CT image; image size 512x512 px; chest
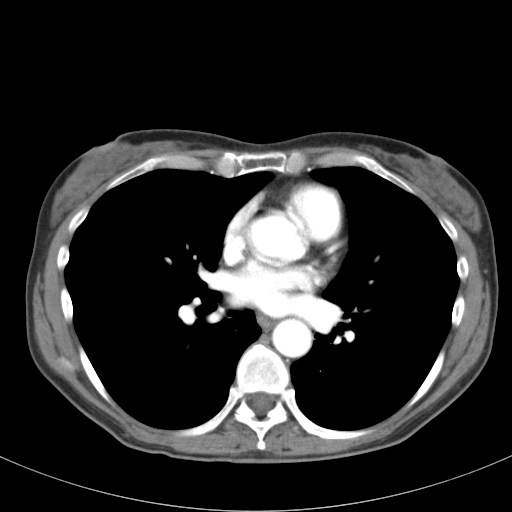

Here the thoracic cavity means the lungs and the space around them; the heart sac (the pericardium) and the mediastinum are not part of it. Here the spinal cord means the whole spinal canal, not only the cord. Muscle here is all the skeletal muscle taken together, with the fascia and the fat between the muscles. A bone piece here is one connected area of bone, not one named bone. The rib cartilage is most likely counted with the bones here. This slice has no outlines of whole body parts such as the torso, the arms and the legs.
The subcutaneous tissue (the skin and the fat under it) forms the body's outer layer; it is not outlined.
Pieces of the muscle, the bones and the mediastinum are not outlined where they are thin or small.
Outlines:
spinal cord: 257,392 264,392 267,394 272,395 274,398 274,404 273,405 272,408 271,408 263,416 258,416 255,413 255,412 249,406 249,405 247,402 247,399 248,398 248,396 250,394 252,394 253,393 256,393
pericardium: 292,175 308,175 312,180 331,186 337,190 343,202 347,221 347,251 336,275 321,292 321,301 315,307 301,314 273,317 260,313 253,308 239,305 220,289 214,274 222,254 227,226 236,212 255,194 279,176
mediastinum 1: 220,290 227,294 239,306 253,309 273,318 301,315 315,308 322,301 322,297 327,305 315,319 318,330 311,348 305,355 294,361 289,369 273,349 256,341 261,334 261,328 256,322 254,312 253,311 251,309 236,310 230,308 232,304 230,301 230,298
mediastinum 2: 308,166 311,166 313,168 315,167 319,167 316,167 315,168 310,170 309,171 309,175 308,174 279,175 275,178 272,182 264,186 270,180 272,176 272,174 270,171 276,171 284,174 293,174 294,173 298,173 303,170 306,170
bones 1: 254,342 281,358 289,370 298,407 314,423 334,430 373,430 353,438 327,439 306,432 290,415 265,433 265,449 260,450 257,434 234,420 231,413 211,431 176,434 177,430 202,424 222,408 234,383 237,364; inner edge: 257,392 264,392 267,394 272,395 274,398 274,404 273,405 272,408 271,408 263,416 258,416 255,413 255,412 249,406 249,405 247,402 247,399 248,398 248,396 250,394 252,394 253,393 256,393
bones 2: 225,151 231,151 236,154 244,152 260,153 268,151 281,151 286,154 289,154 293,151 300,151 307,156 308,165 306,169 293,173 284,173 276,170 259,170 233,177 225,177 217,174 216,171 211,168 214,161
bones 3: 161,154 178,154 179,155 187,155 200,158 206,162 206,167 203,169 191,170 190,169 170,168 169,167 156,168 132,177 106,191 105,190 106,186 112,180 118,176 131,169 149,157 157,156
bones 4: 331,152 345,152 346,153 364,154 374,158 381,164 382,166 403,180 416,193 416,195 407,191 380,175 361,166 358,166 357,165 336,165 335,166 329,166 328,167 320,167 316,165 314,163 314,159 317,156
bones 5: 441,349 443,349 444,350 445,354 444,355 444,359 443,360 442,366 436,378 428,390 417,401 416,401 409,408 407,409 404,409 403,408 405,404 412,397 412,396 415,393 415,392 425,379 426,376 431,369
bones 6: 79,345 81,345 82,346 94,370 96,372 98,377 103,384 105,389 113,399 115,403 115,405 112,405 107,401 106,401 97,391 95,387 88,378 82,366 82,364 79,357 79,351 78,350 78,347
bones 7: 63,286 65,286 66,287 69,293 69,295 71,299 71,303 72,304 72,309 73,310 73,315 72,316 72,321 70,322 68,322 65,319 64,317 64,315 63,314 62,307 61,306 61,299 60,298 60,292
bones 8: 458,294 461,294 463,296 463,298 464,299 464,310 463,311 463,314 462,315 462,317 461,318 461,320 459,324 455,327 451,325 451,318 452,317 452,311 453,310 453,306 454,305 454,302
bones 9: 87,205 90,206 90,208 85,218 83,220 83,221 76,228 74,232 72,234 70,233 68,231 68,226 69,225 69,223 71,219 73,217 73,216 81,208
bones 10: 439,214 442,214 446,216 450,220 450,221 453,224 454,227 456,229 456,231 457,232 457,240 455,242 453,242 452,241 452,240 449,237 449,236 446,233 446,232 442,227 437,217 437,215
muscle 1: 214,147 267,151 225,150 210,168 204,159 193,155 149,156 112,179 93,204 81,207 68,223 70,243 61,244 56,255 56,267 64,272 65,284 59,292 60,306 64,319 73,323 79,340 81,366 106,402 112,406 118,404 148,426 176,430 176,435 186,437 213,431 231,414 234,421 248,426 256,434 256,448 260,451 266,449 266,433 290,416 308,434 327,440 345,440 371,433 374,429 368,427 402,406 404,410 409,409 429,390 443,366 446,352 442,346 451,326 457,327 464,314 465,299 458,289 460,281 468,276 469,265 464,254 456,255 453,243 458,240 458,232 451,220 442,213 436,216 399,176 429,196 461,226 474,244 482,277 489,286 490,317 483,350 471,369 439,400 383,439 329,453 274,455 249,451 231,455 177,451 127,435 113,418 87,402 46,364 35,339 33,289 37,273 43,271 53,236 78,203 147,156, around a hole outlined by 61,358 64,358 65,359 66,359 67,360 68,360 69,361 69,362 72,365 72,368 69,368 68,367 67,367 66,366 65,366 61,362
muscle 2: 304,146 310,146 311,147 315,147 316,146 343,146 344,147 355,149 362,152 365,152 371,156 364,153 346,152 345,151 331,151 330,152 325,152 317,155 313,159 313,163 317,166 313,167 311,165 309,165 308,163 309,162 308,156 304,152 300,150 293,150 289,153 286,153 284,151 281,150 268,150 281,150 282,149 289,149 290,148 303,147
thoracic cavity 1: 163,168 203,170 225,178 259,171 271,174 227,224 213,274 217,287 229,298 229,308 251,310 260,334 241,354 221,408 202,423 180,429 155,427 138,420 108,392 77,335 64,271 73,235 94,203 112,188
thoracic cavity 2: 336,166 364,168 419,198 452,242 459,279 449,330 424,379 397,410 359,429 329,428 310,419 297,403 290,375 291,365 312,348 319,330 316,319 328,305 322,294 349,250 349,218 338,189 310,175 313,169